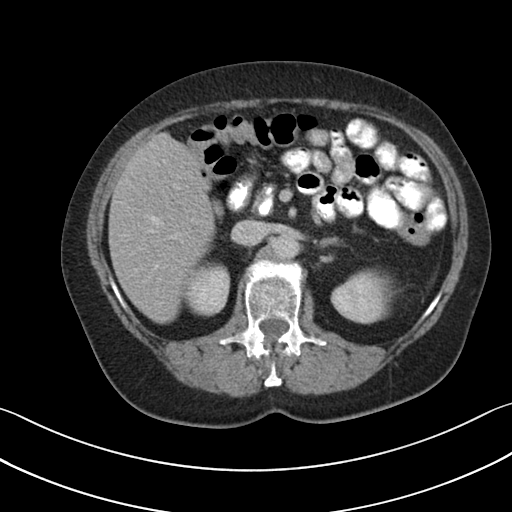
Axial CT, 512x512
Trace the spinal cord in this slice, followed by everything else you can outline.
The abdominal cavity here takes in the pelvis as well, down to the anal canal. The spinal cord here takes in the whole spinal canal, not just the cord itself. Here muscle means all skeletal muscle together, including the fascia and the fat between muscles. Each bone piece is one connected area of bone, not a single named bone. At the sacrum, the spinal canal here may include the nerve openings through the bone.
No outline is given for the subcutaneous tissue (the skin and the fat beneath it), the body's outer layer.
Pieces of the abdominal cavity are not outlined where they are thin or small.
{"spinal_cord":[[[270,318],[277,318],[278,319],[281,319],[282,320],[284,320],[288,324],[288,328],[287,330],[285,332],[281,334],[275,340],[275,342],[274,343],[270,342],[269,341],[266,341],[265,339],[265,335],[261,330],[260,326],[259,325],[263,320],[269,319]]],"torso":[[[255,60],[329,63],[405,88],[441,118],[479,183],[491,231],[486,281],[457,361],[439,383],[417,397],[331,423],[307,423],[272,413],[234,428],[194,427],[162,421],[134,408],[97,362],[60,265],[64,218],[83,169],[114,124],[152,92],[200,70]]],"muscle":[{"outer":[[272,97],[302,97],[303,98],[304,97],[319,97],[320,98],[337,99],[355,103],[362,103],[374,106],[387,111],[399,119],[401,119],[418,128],[431,137],[446,155],[460,182],[467,209],[468,246],[464,259],[464,263],[460,271],[459,279],[452,294],[445,304],[437,321],[423,335],[409,344],[399,355],[394,358],[392,362],[385,365],[364,382],[356,387],[348,390],[343,390],[338,392],[334,392],[328,394],[321,394],[320,395],[313,395],[312,394],[301,395],[292,393],[287,390],[284,390],[280,387],[274,387],[260,391],[258,393],[248,397],[243,397],[242,398],[230,397],[224,393],[219,395],[214,393],[210,393],[200,389],[189,387],[181,383],[168,371],[164,365],[157,359],[155,355],[147,346],[142,343],[125,328],[120,319],[114,312],[106,296],[103,293],[99,283],[98,277],[90,263],[87,251],[87,244],[86,243],[86,222],[88,217],[88,212],[93,192],[100,175],[116,150],[138,130],[150,124],[155,123],[181,109],[197,105],[203,105],[217,101],[229,101],[233,99],[271,98]],"holes":[[[280,102],[388,122],[441,177],[452,233],[441,296],[392,340],[361,344],[322,328],[304,287],[298,324],[326,344],[248,357],[241,343],[219,343],[247,327],[243,275],[225,323],[183,340],[148,329],[111,287],[104,217],[138,147],[201,114]],[[272,361],[274,361],[275,362],[275,367],[276,368],[276,374],[281,379],[281,380],[282,381],[282,383],[279,386],[271,386],[270,387],[266,387],[264,385],[264,381],[265,380],[265,379],[269,375],[269,373],[270,372],[270,364],[271,363],[271,362]]]}],"abdominal_cavity":[[[280,102],[388,122],[423,150],[441,177],[452,233],[450,266],[420,317],[392,340],[361,344],[322,328],[296,260],[252,261],[240,277],[225,323],[183,340],[143,325],[113,278],[102,248],[104,217],[115,184],[138,147],[159,130],[201,114]]],"bones":[{"outer":[[260,259],[296,261],[300,264],[303,279],[298,324],[305,334],[325,340],[325,345],[306,341],[300,345],[299,355],[272,351],[269,356],[261,355],[256,358],[248,357],[246,348],[241,343],[219,343],[221,338],[241,332],[247,327],[244,274],[252,262]],"hole":[[270,318],[277,318],[278,319],[281,319],[282,320],[284,320],[288,324],[288,328],[287,330],[285,332],[281,334],[275,340],[275,342],[274,343],[270,342],[269,341],[266,341],[265,339],[265,335],[261,330],[260,326],[259,325],[263,320],[269,319]]},[[272,361],[274,361],[275,362],[275,367],[276,368],[276,374],[281,379],[281,380],[282,381],[282,383],[279,386],[271,386],[270,387],[266,387],[264,385],[264,381],[265,380],[265,379],[269,375],[269,373],[270,372],[270,364],[271,363],[271,362]],[[110,277],[111,277],[115,282],[115,283],[117,286],[117,288],[118,289],[118,290],[119,291],[122,298],[126,303],[126,304],[127,305],[127,311],[126,311],[122,307],[122,306],[120,304],[117,297],[115,295],[115,294],[111,287],[111,285],[110,284]],[[439,291],[441,292],[441,296],[438,300],[437,303],[435,305],[434,308],[425,318],[424,318],[421,321],[420,321],[420,318],[421,316],[423,314],[425,310],[428,307],[428,306],[430,304],[432,300],[435,297],[435,296]]]}